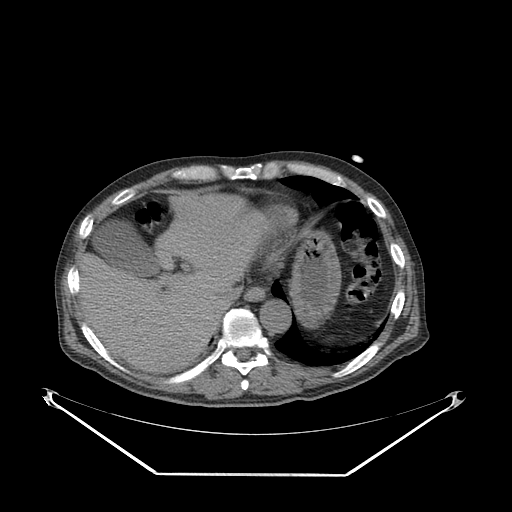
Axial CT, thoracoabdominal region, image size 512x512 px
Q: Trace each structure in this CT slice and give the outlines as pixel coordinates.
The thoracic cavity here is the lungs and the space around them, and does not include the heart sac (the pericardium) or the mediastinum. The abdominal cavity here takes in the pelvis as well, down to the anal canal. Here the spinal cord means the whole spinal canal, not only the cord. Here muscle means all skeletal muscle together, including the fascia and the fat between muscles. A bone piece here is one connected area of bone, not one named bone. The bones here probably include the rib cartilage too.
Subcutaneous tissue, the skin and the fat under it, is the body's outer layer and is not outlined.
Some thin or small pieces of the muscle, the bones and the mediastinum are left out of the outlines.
A: The abdominal cavity appears in 2 outlined pieces: piece 1: 215,184 245,188 266,214 266,230 259,263 245,280 237,299 223,315 221,334 208,354 192,366 171,375 154,375 136,371 113,357 84,319 78,298 80,256 96,226 108,214 129,202 153,190 183,190; piece 2: 349,198 360,199 377,217 383,228 389,242 389,253 395,264 395,295 387,316 365,339 346,347 324,347 308,341 302,335 287,300 287,296 278,280 278,276 284,255 288,246 294,239 300,224 324,206 340,199. The spinal cord is outlined by 242,347 248,347 251,349 251,351 252,352 252,354 251,355 251,356 249,358 249,359 248,359 247,360 240,360 239,359 238,359 238,358 236,356 236,355 235,354 235,349 236,349 237,348 241,348. The mediastinum appears in 2 outlined pieces: piece 1: 283,256 277,279 272,283 270,291 274,296 283,301 287,301 293,318 287,331 277,339 273,345 271,345 268,338 263,334 262,328 255,314 248,308 232,306 238,299 246,280 259,264 260,266 270,266; piece 2: 278,178 279,181 286,186 303,192 309,192 317,205 320,207 323,206 313,214 310,205 301,198 285,191 263,187 244,187 241,185 232,185 227,183 215,183 183,189 154,189 172,182 197,183 219,180 269,180. The muscle is outlined by 271,160 300,160 328,167 356,182 389,210 414,264 420,321 415,337 400,344 369,369 346,380 299,393 244,393 222,399 140,386 66,344 61,275 66,247 80,221 78,236 86,239 94,225 94,217 88,212 105,196 122,189 110,201 113,206 121,206 137,193 133,185 128,186 173,167 204,163 217,165 192,164 170,174 178,181 199,181 166,183 108,213 95,226 77,267 68,268 66,283 70,293 77,294 84,320 79,328 90,346 127,374 132,373 127,367 154,376 170,375 164,379 165,384 188,381 217,360 245,377 253,368 267,366 269,358 276,361 274,353 310,367 344,364 330,374 333,378 348,375 366,364 385,342 376,339 388,314 396,320 406,299 403,288 396,292 396,265 404,268 404,253 397,242 388,240 378,218 385,219 386,211 372,195 366,194 364,200 361,199 331,170 288,162 284,168 292,174 278,177 284,168, around a hole outlined by 244,378 245,378 248,381 248,387 247,388 247,389 246,389 245,390 244,390 243,389 242,389 242,388 241,387 241,381. The thoracic cavity appears in 3 outlined pieces: piece 1: 294,318 301,335 308,342 324,348 346,348 348,346 353,346 354,344 365,340 386,319 383,328 377,337 364,350 345,364 333,366 310,366 294,361 279,352 274,352 271,348 271,346 273,346 275,342 288,331; piece 2: 289,175 303,175 304,176 314,177 334,186 346,188 354,193 359,198 356,197 340,198 331,203 320,206 318,205 317,202 312,196 312,194 309,191 303,191 299,189 296,189 282,183 280,181 280,178; piece 3: 276,280 277,280 281,285 281,287 282,288 282,289 283,290 283,291 286,296 286,301 285,300 283,300 281,298 280,298 279,297 274,295 272,293 272,292 271,291 271,288 272,287 272,285 273,284 273,283. The pericardium is outlined by 246,188 263,188 267,190 285,192 301,199 309,205 312,212 312,215 299,224 299,227 297,228 297,231 293,239 287,246 285,253 277,261 270,265 260,265 267,230 267,214 258,201 248,192. The bones appear in 11 outlined pieces: piece 1: 231,308 245,308 254,314 261,332 267,338 276,360 274,357 269,357 269,363 267,365 255,366 243,376 236,368 223,365 217,359 202,372 188,380 177,383 165,383 165,379 192,367 214,349 222,334 223,317; inner edge: 242,347 248,347 251,349 251,351 252,352 252,354 251,355 251,356 249,358 249,359 248,359 247,360 240,360 239,359 238,359 238,358 236,356 236,355 235,354 235,349 236,349 237,348 241,348; piece 2: 269,161 274,161 281,165 283,168 279,176 269,179 228,179 225,177 220,177 215,180 200,181 178,180 174,179 171,176 174,171 192,165 217,166 220,164 226,164 236,168 241,166 250,166 258,162 265,163; piece 3: 288,163 298,163 304,165 310,165 311,166 315,166 316,167 319,167 331,171 339,175 344,180 346,183 346,187 342,187 338,185 334,185 320,178 314,176 311,176 310,175 293,174 285,168 286,164; piece 4: 375,340 383,341 384,342 376,352 376,353 366,363 354,371 348,374 346,374 343,376 341,376 340,377 333,377 331,375 331,374 334,371 336,371 340,369 349,361 364,351; piece 5: 82,322 85,322 86,324 92,330 94,334 101,342 101,343 107,350 109,354 117,362 128,369 131,373 127,373 111,364 107,360 103,358 91,346 91,345 84,336 80,328 80,323; piece 6: 399,289 403,289 404,293 405,294 405,299 404,300 403,306 402,307 402,309 400,312 399,316 396,319 394,319 393,316 391,314 390,314 390,308 391,307 392,302 394,299 394,297 396,295 396,293; piece 7: 71,266 75,266 77,268 77,270 78,271 78,275 79,276 79,290 78,291 78,292 76,294 72,294 71,293 71,292 69,289 69,287 68,286 68,284 67,283 67,273 68,272 68,270 69,269 69,268; piece 8: 366,195 369,195 370,196 372,196 380,203 380,204 385,211 385,213 386,214 386,217 385,218 382,218 381,217 378,217 376,216 371,211 371,210 368,207 368,206 362,201 362,200 363,201 365,200 365,196; piece 9: 132,186 133,186 135,188 135,189 136,190 136,193 134,196 133,196 131,198 130,198 128,200 127,200 121,205 113,205 112,204 111,204 111,201 116,195 117,195 123,189 124,189 127,187 131,187; piece 10: 391,242 395,242 396,243 397,243 399,245 399,246 401,248 401,250 403,253 403,256 404,257 404,266 403,267 403,268 400,268 393,261 393,260 392,259 392,257 391,256 391,254 390,253 390,243; piece 11: 88,213 90,213 92,215 92,216 93,217 93,225 92,226 92,229 91,230 89,235 86,238 84,238 83,239 82,238 81,238 79,236 79,228 80,227 80,224 81,223 83,218. The torso is outlined by 278,150 313,151 341,158 373,177 394,199 424,271 426,322 430,336 420,349 347,390 314,400 257,407 194,406 144,396 107,380 64,354 57,335 54,270 67,229 90,198 121,175 156,160 190,155 246,156.